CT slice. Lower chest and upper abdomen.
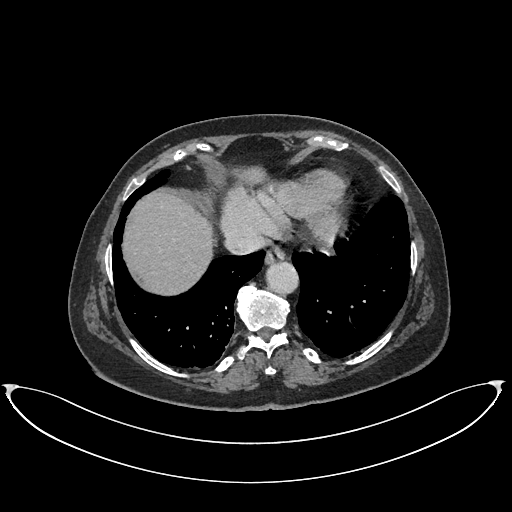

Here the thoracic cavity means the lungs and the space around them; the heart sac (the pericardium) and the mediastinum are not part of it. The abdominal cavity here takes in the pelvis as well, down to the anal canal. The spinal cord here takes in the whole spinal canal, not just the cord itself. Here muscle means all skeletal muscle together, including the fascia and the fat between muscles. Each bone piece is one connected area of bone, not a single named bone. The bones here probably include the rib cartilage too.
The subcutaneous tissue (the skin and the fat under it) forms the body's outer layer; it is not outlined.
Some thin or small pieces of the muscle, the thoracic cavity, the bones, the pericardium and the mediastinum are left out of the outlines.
{"bones":[{"outer":[[251,283],[286,299],[289,303],[290,309],[284,327],[289,342],[276,347],[269,359],[262,349],[252,347],[243,359],[235,358],[225,370],[216,372],[213,369],[217,364],[228,354],[233,354],[240,345],[247,342],[249,332],[235,310],[235,303],[238,290]],"hole":[[263,327],[269,327],[270,328],[271,328],[272,329],[273,329],[275,331],[275,332],[270,337],[270,338],[267,341],[266,341],[265,340],[264,340],[260,336],[259,336],[257,334],[257,333],[258,332],[258,331],[260,329],[261,329]]},[[197,142],[208,143],[214,149],[212,152],[198,150],[194,154],[190,154],[182,158],[179,161],[154,170],[148,175],[146,180],[124,202],[122,201],[123,193],[128,183],[132,178],[139,175],[159,160],[169,156],[177,149],[184,148],[190,143],[196,143]],[[129,337],[132,337],[134,338],[137,341],[137,342],[151,356],[152,356],[158,361],[171,367],[176,371],[187,373],[189,374],[190,376],[188,378],[184,378],[183,377],[174,376],[170,374],[164,373],[151,366],[148,364],[134,350],[128,341],[128,338]],[[390,329],[393,329],[393,333],[390,339],[376,353],[375,353],[372,356],[369,357],[367,359],[361,362],[359,362],[356,364],[353,364],[352,365],[347,365],[346,364],[344,364],[344,361],[348,359],[350,359],[361,353],[374,342],[375,342],[388,330]],[[316,135],[322,135],[328,138],[332,138],[333,139],[336,139],[343,142],[347,142],[349,144],[349,146],[346,149],[341,151],[336,151],[333,149],[324,148],[324,147],[321,145],[319,145],[318,146],[307,146],[305,141],[306,139]],[[379,164],[384,164],[386,168],[393,174],[393,175],[397,180],[398,183],[402,188],[402,192],[401,193],[401,195],[400,197],[398,196],[394,192],[394,191],[390,187],[390,186],[388,185],[388,184],[384,180],[384,179],[377,172],[376,170],[376,168]],[[109,242],[110,242],[112,244],[112,246],[111,247],[111,268],[112,269],[113,283],[114,284],[113,285],[113,287],[111,286],[109,282],[109,280],[107,276],[107,273],[106,272],[105,262],[104,261],[104,252],[105,251],[105,248],[107,244]],[[412,239],[414,239],[415,240],[415,241],[416,242],[416,246],[417,247],[417,250],[418,251],[418,256],[417,257],[417,265],[416,266],[416,268],[415,269],[415,273],[412,276],[411,276],[410,275],[410,244],[411,243],[411,240]],[[304,346],[307,346],[308,347],[309,347],[310,348],[312,348],[317,353],[318,353],[319,354],[319,355],[320,356],[320,357],[321,358],[321,359],[322,360],[322,362],[321,363],[315,363],[314,362],[312,362],[311,361],[310,361],[302,353],[302,348]]],"torso":[[[258,113],[299,114],[342,123],[377,140],[405,167],[433,210],[443,239],[451,296],[450,329],[444,346],[427,365],[405,377],[346,398],[288,409],[187,407],[145,397],[102,379],[76,346],[67,317],[72,265],[90,213],[124,162],[154,137],[191,122]]],"pericardium":[[[321,158],[335,158],[347,163],[361,173],[366,181],[362,191],[352,204],[346,223],[330,245],[314,246],[309,243],[285,243],[270,244],[244,253],[225,254],[222,251],[218,225],[218,188],[230,165],[256,166],[271,174],[305,159]]],"muscle":[{"outer":[[308,129],[322,129],[333,131],[349,138],[377,155],[400,177],[404,185],[404,188],[409,196],[410,202],[414,209],[418,225],[424,240],[424,248],[425,249],[424,250],[424,262],[425,263],[424,270],[429,276],[429,281],[434,293],[434,310],[430,318],[423,326],[412,334],[399,347],[390,353],[388,353],[381,359],[368,367],[343,378],[319,385],[312,385],[311,386],[299,385],[296,388],[290,388],[287,387],[278,377],[269,376],[260,381],[259,385],[253,389],[249,390],[241,389],[235,390],[229,393],[207,391],[197,388],[189,388],[188,389],[182,385],[172,382],[153,373],[150,370],[144,368],[130,357],[115,348],[111,344],[101,340],[87,330],[83,320],[82,310],[85,297],[89,291],[89,285],[91,278],[92,276],[93,277],[94,276],[95,278],[97,277],[98,264],[95,257],[100,240],[100,236],[108,215],[112,209],[113,204],[119,192],[129,177],[137,169],[150,159],[155,157],[169,147],[191,138],[202,136],[238,134],[248,132],[270,132],[271,131],[286,132],[293,130],[307,130]],"holes":[[[316,135],[347,142],[346,150],[364,158],[375,170],[384,164],[402,188],[400,199],[418,256],[405,299],[385,330],[393,329],[390,339],[372,356],[347,365],[344,361],[352,355],[325,354],[306,337],[296,311],[290,309],[284,327],[287,344],[276,347],[269,359],[262,349],[252,347],[243,359],[235,358],[225,370],[216,372],[213,369],[217,364],[247,342],[249,332],[234,309],[232,338],[212,366],[173,367],[189,374],[184,378],[148,364],[128,341],[129,337],[135,337],[118,307],[104,261],[105,248],[113,241],[128,183],[190,143],[205,142],[214,149],[212,152],[198,150],[191,155],[195,156],[216,154],[238,139],[255,136],[306,147],[306,139]],[[304,346],[307,346],[308,347],[309,347],[310,348],[312,348],[317,353],[318,353],[319,354],[319,355],[320,356],[320,357],[321,358],[321,359],[322,360],[322,362],[321,363],[315,363],[314,362],[312,362],[311,361],[310,361],[302,353],[302,348]],[[268,365],[271,365],[276,370],[276,372],[274,374],[273,374],[272,375],[268,375],[267,374],[266,374],[264,372],[264,370],[265,369],[265,368]]]}],"thoracic_cavity":[[[392,193],[402,201],[407,216],[410,238],[409,279],[405,299],[384,333],[365,349],[354,356],[331,357],[311,342],[299,325],[295,308],[300,296],[301,284],[300,276],[292,261],[292,255],[297,251],[334,257],[340,252],[368,211],[382,198]],[[165,168],[170,170],[167,181],[133,204],[121,236],[122,259],[142,290],[177,296],[193,287],[216,257],[264,251],[260,269],[237,290],[234,330],[228,346],[212,366],[201,369],[173,367],[151,355],[124,321],[114,288],[112,242],[121,208],[148,178]]],"mediastinum":[[[322,148],[361,156],[393,192],[367,211],[337,254],[297,250],[292,253],[291,261],[300,284],[297,302],[291,309],[286,298],[254,282],[245,284],[263,265],[265,251],[260,249],[285,244],[330,246],[347,223],[367,182],[361,172],[341,159],[306,158]],[[191,155],[196,158],[196,159],[202,165],[204,169],[207,178],[205,183],[205,186],[201,189],[192,189],[191,188],[172,187],[166,185],[166,183],[168,181],[168,179],[171,175],[171,170],[169,168],[165,167],[170,166],[174,163],[179,162],[182,159]]],"abdominal_cavity":[[[255,136],[293,146],[323,147],[271,173],[256,165],[230,164],[217,188],[219,251],[223,254],[216,256],[199,280],[182,293],[163,296],[142,289],[130,275],[121,250],[126,218],[134,204],[164,184],[201,190],[208,178],[194,156],[216,154],[238,139]]],"spinal_cord":[[[263,327],[269,327],[270,328],[271,328],[272,329],[273,329],[275,331],[275,332],[270,337],[270,338],[267,341],[266,341],[265,340],[264,340],[260,336],[259,336],[257,334],[257,333],[258,332],[258,331],[260,329],[261,329]]]}